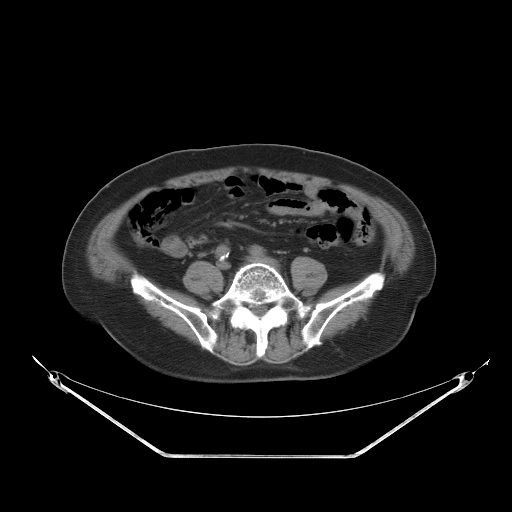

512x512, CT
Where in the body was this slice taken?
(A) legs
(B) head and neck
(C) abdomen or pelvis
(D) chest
Answer: (C) abdomen or pelvis
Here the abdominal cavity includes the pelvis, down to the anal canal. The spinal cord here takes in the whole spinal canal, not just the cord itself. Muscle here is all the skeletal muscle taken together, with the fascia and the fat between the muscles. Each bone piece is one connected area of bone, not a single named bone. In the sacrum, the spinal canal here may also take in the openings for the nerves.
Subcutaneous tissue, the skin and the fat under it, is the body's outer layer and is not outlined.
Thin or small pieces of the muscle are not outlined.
bones: [[252,262],[273,266],[313,308],[372,272],[385,279],[338,311],[307,351],[301,330],[310,313],[298,318],[293,308],[285,325],[269,330],[261,357],[256,334],[232,327],[229,311],[209,316],[211,353],[180,316],[133,293],[130,277],[137,272],[207,313]] with a hole at [[273,301],[275,301],[276,302],[276,304],[271,308],[268,309],[262,315],[260,316],[258,315],[256,315],[252,311],[251,309],[245,306],[245,304],[246,303],[250,305],[252,304],[254,306],[257,306],[258,305],[262,305],[265,303],[271,303]]
spinal cord: [[273,301],[275,301],[276,302],[276,304],[271,308],[268,309],[262,315],[260,316],[258,315],[256,315],[252,311],[251,309],[245,306],[245,304],[246,303],[250,305],[252,304],[254,306],[257,306],[258,305],[262,305],[265,303],[271,303]]
muscle 1: [[237,165],[313,174],[353,185],[382,198],[407,221],[415,245],[411,265],[402,277],[383,289],[386,275],[376,270],[381,263],[385,235],[382,225],[367,204],[336,186],[304,183],[257,171],[236,170],[217,180],[185,186],[166,185],[144,194],[128,208],[113,235],[113,242],[119,251],[143,274],[137,271],[131,274],[131,292],[125,287],[94,277],[85,256],[86,246],[92,230],[107,213],[144,188],[159,185],[170,178]]
muscle 2: [[293,309],[298,319],[309,313],[300,330],[306,352],[300,356],[281,364],[258,360],[237,366],[212,354],[218,335],[209,317],[218,320],[222,311],[229,312],[232,328],[255,334],[255,356],[261,358],[268,347],[270,330],[285,326],[289,322],[288,312]]
muscle 3: [[195,261],[211,263],[221,272],[224,280],[223,290],[213,296],[213,300],[210,303],[212,308],[207,312],[197,305],[186,304],[175,299],[147,277],[157,282],[163,288],[170,288],[188,294],[200,302],[207,304],[207,300],[189,291],[182,281],[186,270]]
muscle 4: [[297,256],[306,256],[315,259],[322,263],[326,269],[327,279],[312,296],[314,299],[318,298],[324,292],[331,288],[355,282],[369,273],[358,283],[345,292],[329,300],[318,301],[313,307],[311,304],[304,302],[306,298],[292,285],[290,265],[294,258]]
muscle 5: [[376,291],[379,291],[379,292],[369,306],[368,312],[365,319],[364,318],[360,318],[353,326],[351,326],[345,331],[340,332],[334,335],[330,339],[327,339],[323,342],[321,340],[322,333],[326,326],[338,312],[353,303],[360,302],[371,298]]
muscle 6: [[133,294],[140,296],[146,301],[155,302],[161,307],[173,312],[180,317],[193,332],[198,340],[200,347],[207,351],[202,350],[199,346],[195,345],[183,336],[177,334],[171,329],[162,325],[155,317],[152,317],[147,312],[145,308],[138,302],[138,300]]
abdominal cavity: [[236,171],[336,187],[357,198],[383,230],[377,269],[314,298],[327,269],[297,255],[289,272],[304,301],[262,261],[240,266],[226,291],[214,300],[224,290],[225,280],[222,272],[206,260],[190,263],[181,281],[207,303],[145,275],[114,242],[129,208],[152,190],[209,183]]
torso: [[239,143],[296,145],[348,158],[387,177],[417,205],[433,239],[436,276],[428,297],[417,307],[407,334],[394,351],[330,378],[247,383],[190,381],[142,365],[103,329],[92,326],[70,307],[61,282],[65,242],[84,205],[104,184],[123,171],[170,151]]